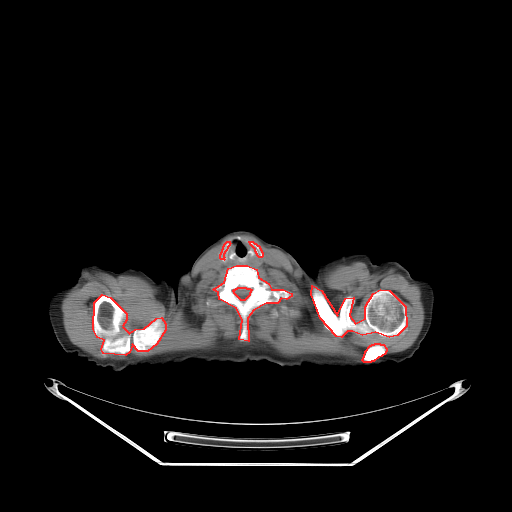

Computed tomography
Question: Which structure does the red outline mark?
Answer: red: bones.
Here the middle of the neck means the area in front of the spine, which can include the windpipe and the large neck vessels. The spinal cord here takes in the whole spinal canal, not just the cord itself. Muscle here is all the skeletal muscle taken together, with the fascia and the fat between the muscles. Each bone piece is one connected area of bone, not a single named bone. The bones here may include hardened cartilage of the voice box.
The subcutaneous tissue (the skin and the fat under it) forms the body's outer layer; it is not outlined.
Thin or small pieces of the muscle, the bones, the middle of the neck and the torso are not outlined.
{"bones":[[[312,285],[321,290],[337,315],[345,298],[353,297],[349,315],[355,323],[365,318],[365,306],[373,293],[380,289],[389,290],[405,306],[406,326],[397,335],[389,337],[375,332],[362,335],[352,331],[347,331],[341,337],[336,336],[320,318],[311,294]],[[102,294],[110,297],[126,313],[126,320],[122,326],[129,333],[135,329],[144,328],[156,318],[161,317],[165,323],[165,330],[156,344],[147,351],[138,351],[132,344],[129,352],[125,355],[103,353],[101,349],[104,340],[97,337],[93,329],[94,302]],{"outer":[[236,265],[247,265],[256,269],[258,277],[268,283],[271,289],[283,289],[291,293],[291,296],[286,299],[281,298],[277,303],[266,303],[253,310],[247,318],[248,341],[239,339],[242,319],[236,308],[219,299],[218,292],[213,289],[224,282],[228,268]],"hole":[[238,287],[245,287],[246,288],[249,288],[250,289],[251,289],[251,290],[250,291],[250,292],[249,293],[249,295],[244,300],[241,300],[234,293],[234,292],[233,291],[233,290],[234,289],[235,289],[236,288],[237,288]]},[[375,343],[379,343],[380,344],[383,344],[386,348],[386,351],[385,352],[385,353],[381,356],[378,357],[373,361],[371,361],[370,362],[364,362],[362,360],[362,359],[364,356],[365,351],[370,345],[371,345],[372,344],[374,344]],[[249,241],[252,241],[254,243],[255,243],[257,245],[258,245],[259,246],[259,247],[260,248],[260,249],[262,252],[262,256],[261,257],[259,257],[257,255],[257,254],[255,251],[255,249],[250,244],[250,243],[249,242]],[[227,241],[229,241],[229,242],[230,243],[229,244],[229,245],[227,247],[226,250],[224,252],[224,253],[223,254],[223,256],[224,257],[223,258],[224,259],[221,259],[220,258],[220,254],[222,251],[222,249],[223,248],[223,246],[224,245],[224,244]]],"torso":[[[344,254],[367,254],[370,256],[373,262],[358,280],[354,291],[356,319],[362,330],[380,349],[403,361],[389,360],[370,367],[333,367],[312,363],[282,366],[267,360],[255,360],[273,349],[295,326],[304,311],[306,305],[306,271],[312,274],[320,262]],[[172,284],[179,302],[179,308],[186,324],[191,331],[225,358],[233,361],[249,361],[232,362],[187,359],[177,363],[170,362],[158,365],[143,364],[129,366],[120,371],[115,371],[107,366],[103,367],[135,345],[159,321],[161,316],[167,310],[171,301]]],"spinal_cord":[[[238,287],[245,287],[246,288],[249,288],[250,289],[251,289],[251,290],[250,291],[250,292],[249,293],[249,295],[244,300],[241,300],[234,293],[234,292],[233,291],[233,290],[234,289],[235,289],[236,288],[237,288]]],"head_and_neck":[[[234,229],[246,229],[253,231],[268,242],[284,248],[295,258],[305,271],[305,305],[303,311],[294,326],[282,339],[266,354],[254,360],[233,360],[225,357],[195,334],[187,324],[180,308],[180,302],[175,290],[179,276],[191,267],[198,255],[211,243]]],"right_arm":[[[94,264],[98,264],[114,272],[120,272],[128,268],[137,269],[155,278],[163,277],[171,283],[170,301],[158,321],[135,344],[102,366],[98,366],[74,352],[66,352],[56,339],[48,317],[48,301],[52,293],[59,288],[73,284],[78,278],[82,266]]],"middle_of_the_neck":[[[236,236],[241,236],[242,238],[249,240],[248,242],[254,249],[256,255],[259,258],[263,257],[263,265],[256,267],[247,264],[236,264],[228,266],[220,265],[217,262],[217,256],[220,252],[219,258],[221,260],[225,259],[224,254],[231,243],[230,240]]],"left_arm":[[[386,260],[395,260],[399,262],[413,277],[421,278],[429,281],[432,285],[434,292],[433,315],[430,328],[421,342],[419,348],[411,357],[404,360],[402,360],[380,348],[363,330],[357,319],[356,315],[355,291],[359,280],[370,268],[373,263],[378,264]]],"muscle":[{"outer":[[236,233],[251,234],[289,257],[311,285],[323,326],[339,338],[347,332],[397,336],[408,314],[403,300],[383,288],[368,298],[362,320],[351,319],[351,295],[337,314],[322,291],[325,271],[355,261],[376,272],[398,270],[421,290],[424,321],[418,336],[393,353],[372,343],[362,361],[342,355],[289,357],[263,341],[233,340],[209,350],[146,358],[91,355],[69,340],[61,310],[84,271],[139,276],[172,311],[199,259]],"holes":[[[236,236],[259,246],[264,264],[254,268],[258,277],[271,289],[291,293],[286,299],[253,310],[247,318],[248,341],[239,339],[242,319],[236,308],[219,299],[218,292],[213,289],[224,282],[229,267],[220,265],[217,256],[224,244]],[[102,294],[110,297],[126,313],[126,320],[122,326],[129,333],[135,329],[144,328],[156,318],[161,317],[165,323],[165,330],[156,344],[147,351],[138,351],[132,344],[129,352],[125,355],[103,353],[101,349],[104,340],[97,337],[93,329],[94,302]]]}]}